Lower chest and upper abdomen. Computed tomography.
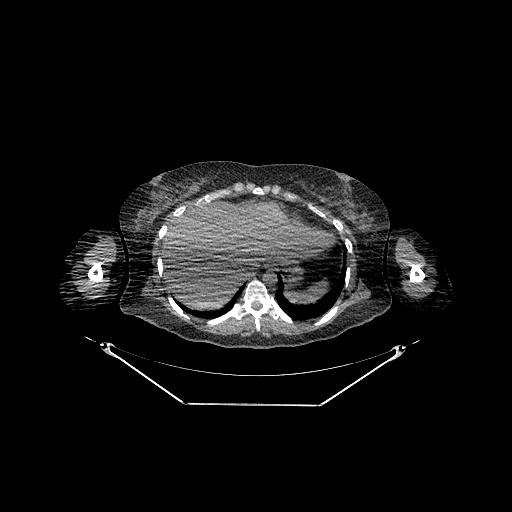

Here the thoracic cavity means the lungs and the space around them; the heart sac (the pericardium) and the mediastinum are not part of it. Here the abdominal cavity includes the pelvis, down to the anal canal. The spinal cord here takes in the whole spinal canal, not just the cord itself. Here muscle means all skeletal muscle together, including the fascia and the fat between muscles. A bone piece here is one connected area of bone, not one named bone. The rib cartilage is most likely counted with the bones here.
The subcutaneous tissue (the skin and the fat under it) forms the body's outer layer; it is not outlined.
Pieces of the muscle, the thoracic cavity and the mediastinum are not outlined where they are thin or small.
{"left_arm":[[[400,225],[413,229],[432,245],[434,245],[440,249],[443,255],[444,265],[448,276],[455,288],[455,295],[453,301],[451,303],[437,310],[418,311],[400,302],[397,297],[392,293],[387,282],[388,272],[386,263],[386,255],[387,254],[386,242],[389,230]]],"muscle":[[[172,211],[171,215],[173,218],[170,220],[170,223],[164,222],[157,231],[156,240],[161,241],[161,256],[159,255],[156,258],[156,268],[160,278],[163,274],[165,285],[169,291],[169,294],[166,296],[168,304],[179,317],[186,321],[191,319],[190,315],[205,319],[205,324],[208,327],[213,327],[229,318],[240,320],[249,314],[254,320],[254,328],[257,332],[261,330],[260,319],[264,314],[268,314],[274,320],[279,319],[284,321],[292,327],[295,326],[294,320],[317,319],[311,324],[315,328],[326,323],[337,314],[339,309],[338,298],[343,288],[346,289],[348,287],[350,280],[351,267],[347,265],[347,254],[353,252],[353,244],[348,237],[344,236],[342,239],[340,235],[345,231],[342,221],[354,237],[357,254],[357,277],[361,278],[369,290],[369,296],[362,303],[350,305],[345,308],[332,323],[297,335],[277,334],[266,337],[254,333],[242,337],[238,334],[221,335],[198,330],[189,324],[179,321],[164,305],[156,300],[142,298],[141,296],[143,284],[148,274],[152,272],[152,249],[155,231],[164,218]],{"outer":[[99,235],[104,236],[107,235],[111,236],[113,238],[113,240],[116,244],[117,250],[116,258],[110,272],[109,285],[104,293],[96,299],[85,300],[76,287],[76,284],[74,282],[74,279],[72,276],[72,268],[78,261],[83,259],[85,253],[98,240]],"hole":[[95,263],[98,263],[99,264],[100,264],[102,266],[102,270],[103,271],[103,281],[102,281],[101,282],[92,282],[91,281],[90,281],[90,280],[88,278],[88,277],[87,276],[87,272],[88,271],[89,268],[92,265],[92,264],[94,264]]},{"outer":[[400,236],[407,236],[411,238],[413,240],[415,249],[423,255],[427,260],[427,262],[435,267],[438,271],[439,276],[438,285],[429,294],[416,297],[413,295],[410,295],[404,290],[401,282],[402,281],[401,278],[402,268],[395,258],[395,246],[397,238]],"hole":[[413,266],[418,266],[419,267],[420,267],[421,268],[421,269],[423,271],[423,272],[425,274],[425,276],[423,278],[423,279],[421,282],[419,282],[418,283],[416,283],[415,282],[411,282],[409,280],[409,272],[410,271],[410,268]]},[[297,194],[315,203],[319,206],[322,206],[324,207],[326,209],[329,210],[334,216],[337,217],[329,218],[323,211],[314,205],[310,201],[308,201],[306,203],[305,205],[306,207],[303,205],[301,205],[299,203],[296,202],[296,200],[299,197]],[[195,197],[199,197],[198,197],[196,199],[196,200],[195,200],[192,203],[192,207],[190,207],[189,209],[187,210],[187,206],[185,204],[181,204],[177,206],[182,201],[184,200],[188,200],[189,199],[191,199]]],"thoracic_cavity":[[[344,267],[345,267],[344,284],[336,301],[318,318],[303,319],[302,320],[293,319],[281,307],[275,298],[274,292],[278,287],[277,278],[279,277],[282,284],[282,294],[286,300],[290,303],[295,304],[298,306],[315,304],[321,300],[334,287],[340,278]],[[242,285],[244,285],[244,287],[232,306],[224,313],[212,318],[206,319],[202,317],[191,315],[186,312],[177,302],[177,301],[181,303],[191,310],[198,310],[199,311],[204,311],[205,310],[207,311],[213,311],[217,310],[223,308],[226,304],[230,302]]],"mediastinum":[[[266,268],[271,268],[272,269],[274,269],[276,270],[278,273],[278,277],[276,278],[277,287],[273,292],[273,293],[270,292],[267,286],[261,280],[256,277],[254,277],[250,279],[248,281],[247,281],[245,283],[245,284],[243,284],[248,278]],[[288,202],[295,202],[301,206],[305,207],[308,210],[317,215],[326,222],[329,223],[333,226],[336,231],[326,229],[325,227],[323,227],[320,225],[319,223],[314,221],[311,217],[306,215],[306,214],[304,213],[301,209],[295,205],[292,205],[288,203]]],"abdominal_cavity":[[[256,195],[285,200],[326,230],[339,234],[345,248],[343,256],[346,264],[333,287],[315,303],[298,305],[284,296],[278,271],[266,267],[248,277],[223,307],[191,309],[176,301],[170,295],[163,273],[162,240],[170,234],[170,224],[190,208],[213,200]]],"right_arm":[[[107,226],[115,229],[120,236],[122,240],[121,241],[125,256],[124,269],[117,293],[114,299],[107,305],[93,310],[86,311],[79,311],[73,309],[62,300],[60,294],[59,287],[60,266],[67,255],[75,246],[77,240],[83,233],[91,228],[106,227]]],"bones":[{"outer":[[254,278],[261,281],[268,291],[273,294],[280,307],[294,321],[294,326],[279,318],[274,319],[268,313],[264,313],[260,317],[259,331],[256,330],[255,320],[249,313],[240,319],[229,317],[223,322],[208,326],[206,321],[227,312],[237,301],[246,283]],"hole":[[254,302],[255,302],[256,302],[257,302],[258,303],[259,303],[260,304],[261,305],[261,306],[260,307],[259,308],[258,308],[257,309],[256,309],[255,309],[254,308],[253,307],[252,306],[252,305],[252,304],[253,303]]},[[236,182],[245,184],[250,182],[261,187],[265,185],[278,185],[283,191],[294,193],[298,197],[295,201],[288,201],[280,195],[270,193],[257,195],[245,191],[242,193],[234,193],[227,197],[216,198],[193,207],[193,203],[206,193],[217,189],[231,188]],[[308,202],[310,202],[314,206],[323,212],[329,219],[332,219],[333,218],[337,218],[339,219],[341,221],[343,225],[343,228],[344,229],[344,231],[342,234],[340,234],[337,231],[335,227],[330,222],[326,221],[323,218],[308,209],[306,205]],[[95,263],[98,263],[99,264],[100,264],[102,266],[102,270],[103,271],[103,281],[102,281],[101,282],[92,282],[91,281],[90,281],[90,280],[88,278],[88,277],[87,276],[87,272],[88,271],[89,268],[92,265],[92,264],[94,264]],[[337,300],[337,301],[338,302],[337,303],[338,304],[338,309],[337,310],[337,312],[336,313],[336,314],[330,319],[329,319],[326,322],[325,322],[324,323],[319,325],[317,327],[312,326],[312,324],[315,321],[316,321],[324,313],[325,313],[337,301]],[[413,266],[418,266],[419,267],[420,267],[421,268],[421,269],[423,271],[423,272],[425,274],[425,276],[423,278],[423,279],[421,282],[419,282],[418,283],[416,283],[415,282],[411,282],[409,280],[409,272],[410,271],[410,268]],[[169,295],[171,296],[173,298],[173,299],[175,300],[178,305],[186,313],[187,313],[189,315],[190,317],[190,319],[189,320],[186,320],[184,319],[181,316],[179,316],[176,313],[173,308],[169,304],[169,301],[167,298],[167,296]],[[164,223],[166,223],[168,225],[169,225],[169,227],[167,230],[167,232],[168,233],[169,233],[169,234],[166,235],[164,237],[164,238],[163,239],[162,239],[161,240],[157,240],[157,239],[158,238],[158,231],[159,230],[160,227]],[[181,205],[185,205],[186,206],[186,210],[181,215],[180,215],[177,217],[175,217],[173,220],[173,222],[171,222],[171,220],[174,218],[174,217],[172,215],[172,213],[173,212],[173,211],[177,207],[178,207]],[[159,256],[160,256],[161,257],[161,259],[162,260],[162,263],[163,264],[163,266],[164,267],[163,268],[163,272],[162,273],[162,276],[161,277],[160,277],[159,276],[159,274],[158,273],[158,269],[157,268],[157,258]],[[344,237],[346,237],[347,238],[348,238],[350,240],[350,241],[351,242],[351,243],[352,244],[352,252],[351,253],[348,253],[347,252],[347,251],[346,250],[346,248],[345,247],[345,245],[344,244],[344,241],[343,240],[343,238]],[[347,266],[349,266],[350,267],[350,273],[349,274],[349,280],[348,281],[348,285],[347,286],[347,287],[346,288],[344,288],[344,285],[345,284],[345,274],[346,273],[346,267]]],"torso":[[[208,160],[254,165],[313,164],[343,172],[372,189],[382,199],[389,216],[382,273],[392,294],[390,308],[335,337],[272,348],[222,347],[190,341],[138,317],[124,314],[119,308],[119,300],[128,281],[130,263],[118,219],[122,203],[136,187],[153,176]]],"spinal_cord":[[[254,302],[255,302],[256,302],[257,302],[258,303],[259,303],[260,304],[261,305],[261,306],[260,307],[259,308],[258,308],[257,309],[256,309],[255,309],[254,308],[253,307],[252,306],[252,305],[252,304],[253,303]]]}